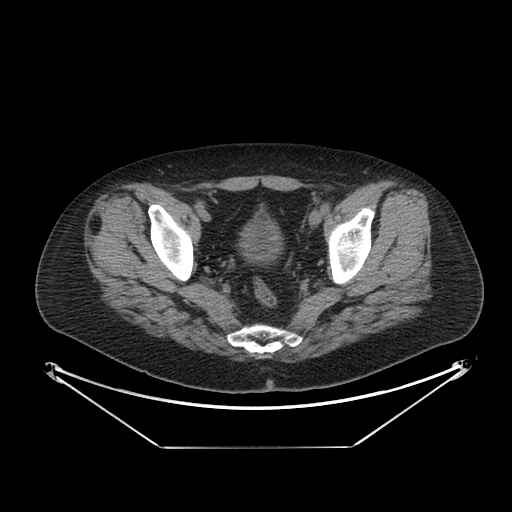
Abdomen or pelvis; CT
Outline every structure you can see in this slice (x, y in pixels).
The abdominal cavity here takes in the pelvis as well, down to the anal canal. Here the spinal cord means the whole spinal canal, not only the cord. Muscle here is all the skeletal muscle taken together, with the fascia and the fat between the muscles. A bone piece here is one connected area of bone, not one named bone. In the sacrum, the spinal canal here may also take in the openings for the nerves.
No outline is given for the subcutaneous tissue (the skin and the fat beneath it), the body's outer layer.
The abdominal cavity is outlined by 259 183; 284 192; 307 188; 346 194; 327 214; 323 223; 327 245; 326 279; 314 292; 298 302; 289 321; 281 327; 263 322; 244 325; 227 295; 203 282; 197 275; 194 251; 201 235; 200 220; 187 203; 173 195; 203 187; 243 191. The bones appear in 3 outlined pieces: piece 1: 366 206; 368 206; 375 211; 375 214; 371 224; 371 247; 370 250; 366 259; 364 261; 363 265; 356 274; 345 283; 336 284; 332 279; 332 274; 331 273; 329 258; 328 257; 327 239; 331 230; 337 224; 348 221; 362 207; 365 207; piece 2: 151 204; 158 204; 162 206; 173 219; 182 228; 186 230; 191 237; 192 245; 193 246; 194 260; 193 261; 191 275; 186 281; 182 281; 178 279; 166 267; 159 258; 151 243; 150 233; 149 232; 150 229; 150 221; 147 213; 147 209; piece 3: 254 323; 268 324; 295 332; 302 336; 302 340; 295 346; 289 346; 285 344; 281 348; 274 352; 265 352; 261 355; 256 352; 252 353; 249 352; 241 346; 231 345; 228 342; 226 338; 226 335; 230 332; 240 329; 245 325; 250 325 with a hole at 256 339; 271 339; 272 340; 271 340; 270 341; 268 341; 266 343; 265 343; 264 344; 260 344; 256 340. The muscle is outlined by 268 174; 304 182; 349 184; 392 178; 423 192; 431 225; 430 282; 433 295; 421 316; 302 361; 288 363; 267 358; 243 362; 192 350; 169 338; 148 334; 100 299; 99 284; 89 269; 84 247; 88 214; 96 197; 130 182; 175 184; inner edge: 259 183; 284 192; 307 188; 346 194; 325 217; 326 243; 331 230; 362 207; 375 211; 371 247; 361 268; 345 283; 336 284; 328 257; 326 279; 298 302; 289 321; 281 326; 302 340; 261 355; 228 342; 226 335; 240 329; 244 322; 227 295; 197 275; 195 256; 186 281; 178 279; 161 261; 150 240; 147 213; 151 204; 162 206; 189 234; 195 252; 200 220; 173 194; 203 187; 243 191. The spinal cord is outlined by 256 339; 271 339; 272 340; 271 340; 270 341; 268 341; 266 343; 265 343; 264 344; 260 344; 256 340. The torso is outlined by 243 141; 306 142; 357 150; 403 166; 431 182; 455 208; 482 272; 484 301; 471 331; 459 340; 342 385; 298 392; 229 394; 188 388; 153 378; 50 328; 39 314; 35 302; 36 268; 55 221; 79 192; 102 175; 151 155; 206 144.